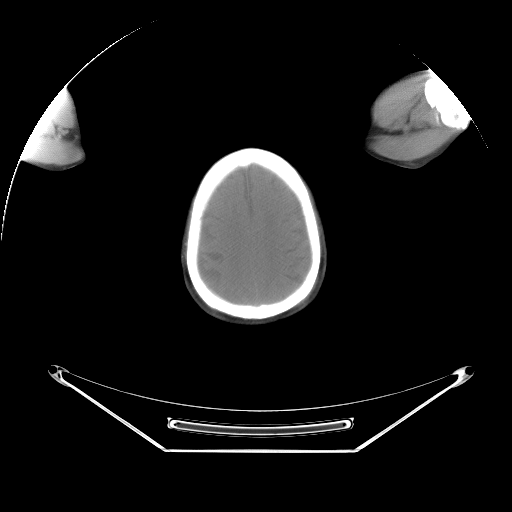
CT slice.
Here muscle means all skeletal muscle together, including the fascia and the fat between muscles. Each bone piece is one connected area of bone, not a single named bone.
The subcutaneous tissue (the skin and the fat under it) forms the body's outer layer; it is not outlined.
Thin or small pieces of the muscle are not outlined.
The right arm is outlined by 64,88 66,88 66,89 72,94 77,106 78,117 79,118 79,122 82,132 82,140 87,152 87,159 82,164 63,171 49,171 29,164 26,162 25,160 22,159 22,153 24,146 38,120 52,100 57,94. The bones appear in 2 outlined pieces: piece 1: 245,147 259,147 275,152 285,158 297,170 310,193 315,211 320,241 319,270 312,289 308,295 290,309 279,314 260,319 235,317 209,307 194,289 186,267 186,242 189,214 198,184 205,172 216,160 229,152 with a hole at 251,164 260,166 273,173 294,194 299,203 301,213 303,216 309,246 309,265 299,285 279,300 259,304 236,303 214,292 202,278 198,265 198,252 202,229 202,218 212,194 221,182 234,170 240,167 245,168; piece 2: 428,69 430,69 434,72 447,85 466,109 471,117 471,120 465,128 458,129 455,127 447,126 442,123 440,121 439,115 436,110 433,107 431,107 427,102 424,95 424,83 428,78 428,76 426,74 426,71. The head is outlined by 244,146 259,146 279,154 305,178 313,190 323,221 327,244 326,272 321,290 316,299 303,310 290,317 273,323 254,326 224,322 202,311 191,298 184,285 179,260 180,239 184,218 194,190 202,176 218,158. The brain is outlined by 251,164 260,166 273,173 294,194 299,203 301,213 303,216 309,246 309,265 299,285 279,300 259,304 236,303 214,292 202,278 198,265 198,252 202,229 202,218 212,194 221,182 234,170 240,167 245,168. The left arm is outlined by 424,64 455,94 471,117 471,121 473,123 470,121 465,131 440,156 422,167 409,169 395,166 371,157 362,150 358,141 366,126 366,108 369,102 378,90 386,83 402,74 415,70 423,70 426,67. The muscle appears in 3 outlined pieces: piece 1: 424,72 427,76 423,83 423,95 426,102 435,110 439,121 442,124 447,127 460,130 435,152 412,161 397,160 376,152 372,149 370,143 372,141 372,136 379,128 374,121 374,107 378,99 392,85 401,80; piece 2: 64,88 66,88 70,93 71,98 73,101 73,111 74,112 74,119 76,125 76,139 81,152 80,160 64,166 48,166 41,163 35,162 32,160 27,160 26,161 22,159 22,153 24,146 35,125 52,100; piece 3: 319,271 319,275 318,276 318,281 312,293 309,296 309,297 302,304 296,306 303,300 304,300 309,295 309,294 313,289 313,287 318,277 318,274 319,273.